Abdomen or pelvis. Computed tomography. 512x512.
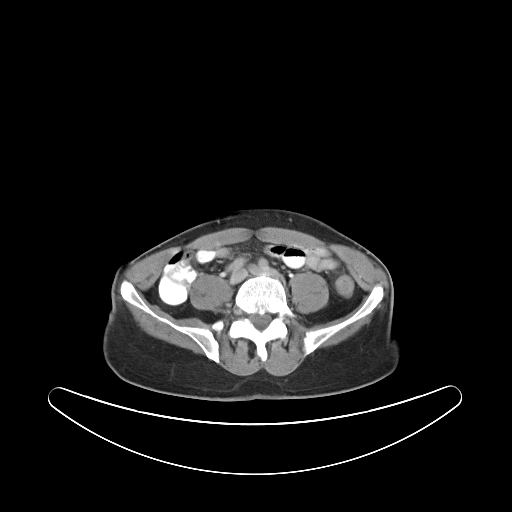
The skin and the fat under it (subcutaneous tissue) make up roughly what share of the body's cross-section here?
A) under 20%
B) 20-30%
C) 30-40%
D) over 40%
C) 30-40%
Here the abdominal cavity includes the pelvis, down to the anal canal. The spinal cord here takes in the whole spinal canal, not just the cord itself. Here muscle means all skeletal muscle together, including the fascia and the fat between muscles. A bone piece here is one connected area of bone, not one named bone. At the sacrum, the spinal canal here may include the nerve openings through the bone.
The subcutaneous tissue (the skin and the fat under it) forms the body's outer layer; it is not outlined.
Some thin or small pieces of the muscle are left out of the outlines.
spinal cord: (266, 313) (267, 313) (270, 315) (270, 316) (271, 317) (271, 319) (270, 320) (269, 323) (267, 325) (267, 326) (262, 330) (260, 330) (255, 327) (255, 326) (253, 324) (253, 323) (250, 319) (250, 315) (252, 315) (253, 314) (258, 314) (261, 316) (262, 315) (264, 315)
abdominal cavity: (253, 236) (264, 242) (330, 250) (367, 294) (357, 307) (343, 316) (314, 326) (302, 326) (288, 303) (283, 281) (270, 275) (251, 276) (238, 287) (233, 312) (211, 323) (194, 316) (172, 316) (148, 301) (144, 292) (155, 283) (174, 252) (186, 248) (216, 248) (244, 242) with a hole at (302, 272) (304, 273) (315, 273) (321, 276) (327, 283) (328, 291) (329, 292) (328, 301) (325, 306) (316, 311) (310, 312) (306, 314) (305, 313) (301, 313) (299, 312) (296, 309) (292, 300) (292, 289) (291, 288) (292, 280) (299, 273) (301, 273)
torso: (247, 208) (280, 208) (315, 217) (365, 246) (386, 265) (394, 288) (392, 333) (401, 345) (399, 364) (391, 374) (358, 389) (320, 397) (212, 401) (151, 391) (122, 380) (110, 369) (102, 353) (102, 335) (111, 307) (110, 289) (117, 268) (123, 262) (191, 226) (230, 210)
muscle 1: (265, 226) (296, 229) (329, 242) (353, 247) (375, 262) (384, 271) (388, 281) (385, 304) (374, 314) (368, 324) (338, 344) (314, 352) (287, 375) (274, 376) (264, 369) (247, 376) (228, 372) (217, 364) (220, 362) (219, 343) (213, 331) (219, 334) (225, 326) (222, 318) (234, 313) (236, 318) (231, 321) (227, 335) (231, 339) (243, 338) (254, 343) (257, 356) (262, 362) (265, 362) (268, 358) (266, 344) (269, 341) (283, 340) (287, 337) (286, 318) (294, 319) (302, 327) (314, 327) (317, 323) (343, 317) (360, 305) (350, 316) (337, 323) (306, 330) (302, 338) (302, 351) (303, 355) (307, 356) (336, 333) (370, 314) (384, 298) (383, 285) (376, 283) (368, 294) (344, 262) (326, 247) (264, 241) (253, 235) (244, 241) (216, 247) (186, 247) (174, 251) (163, 264) (154, 283) (143, 292) (143, 295) (148, 302) (176, 319) (198, 318) (210, 323) (210, 328) (180, 325) (159, 315) (150, 308) (130, 281) (122, 279) (119, 283) (119, 293) (125, 301) (188, 336) (198, 345) (206, 358) (145, 333) (118, 298) (118, 285) (126, 270) (148, 255) (185, 244) (203, 234) (229, 227) (257, 229)
muscle 2: (302, 272) (304, 273) (315, 273) (321, 276) (327, 283) (328, 291) (329, 292) (328, 301) (325, 306) (316, 311) (310, 312) (306, 314) (305, 313) (301, 313) (299, 312) (296, 309) (292, 300) (292, 289) (291, 288) (292, 280) (299, 273) (301, 273)
muscle 3: (208, 274) (216, 275) (223, 280) (226, 281) (227, 284) (232, 290) (232, 298) (230, 300) (224, 302) (222, 304) (222, 310) (221, 312) (219, 313) (216, 313) (211, 310) (202, 310) (201, 309) (198, 309) (194, 307) (190, 301) (190, 290) (192, 288) (193, 283) (198, 277)
bones 1: (270, 276) (283, 282) (287, 303) (296, 316) (294, 318) (285, 318) (287, 328) (285, 338) (272, 339) (265, 344) (267, 358) (262, 361) (256, 352) (254, 342) (243, 337) (231, 338) (228, 335) (228, 330) (232, 321) (237, 318) (234, 312) (234, 299) (241, 284) (251, 277) with a hole at (266, 313) (267, 313) (270, 315) (270, 316) (271, 317) (271, 319) (270, 320) (269, 323) (267, 325) (267, 326) (262, 330) (260, 330) (255, 327) (255, 326) (253, 324) (253, 323) (250, 319) (250, 315) (252, 315) (253, 314) (258, 314) (261, 316) (262, 315) (264, 315)
bones 2: (124, 279) (133, 285) (150, 309) (159, 316) (177, 325) (210, 329) (212, 323) (221, 319) (224, 323) (222, 330) (219, 333) (215, 330) (212, 331) (218, 343) (219, 362) (216, 363) (207, 358) (199, 345) (188, 335) (158, 320) (125, 300) (120, 293) (120, 283)
bones 3: (378, 283) (381, 284) (383, 287) (384, 290) (383, 298) (370, 313) (345, 326) (329, 337) (312, 352) (307, 355) (304, 355) (304, 352) (303, 351) (303, 338) (306, 331) (308, 330) (315, 330) (331, 325) (334, 325) (347, 319) (361, 306) (367, 298) (373, 287)